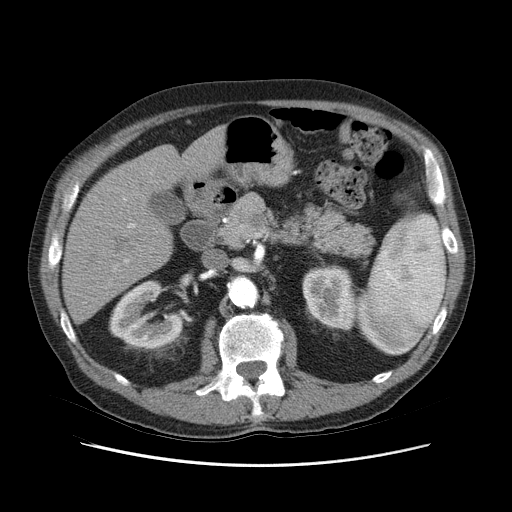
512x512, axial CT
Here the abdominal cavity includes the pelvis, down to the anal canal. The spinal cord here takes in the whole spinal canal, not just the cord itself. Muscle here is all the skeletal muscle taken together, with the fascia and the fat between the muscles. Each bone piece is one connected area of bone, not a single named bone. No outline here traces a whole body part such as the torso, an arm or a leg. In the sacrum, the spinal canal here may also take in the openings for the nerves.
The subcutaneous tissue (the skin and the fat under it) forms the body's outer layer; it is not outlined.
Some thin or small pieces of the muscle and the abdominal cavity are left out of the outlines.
bones 1: 262,312 269,313 277,320 284,334 277,368 285,393 282,396 263,394 259,398 263,414 257,416 252,416 252,402 244,395 229,401 223,400 216,390 197,395 195,391 207,384 221,368 218,334 225,322 235,314 with a hole at 253,361 262,361 264,362 266,365 266,368 263,372 262,372 257,376 257,379 256,380 253,380 252,381 251,380 247,380 245,379 245,378 242,375 239,374 237,372 236,368 240,363 242,363 243,362 252,362
bones 2: 423,147 427,147 432,151 434,156 438,162 438,164 441,171 441,174 443,178 444,190 446,194 446,198 444,201 444,204 442,207 439,205 434,204 432,202 429,196 429,194 430,193 430,180 428,179 425,171
bones 3: 70,180 77,180 79,182 79,186 80,188 79,189 77,197 75,200 75,202 73,204 72,208 70,210 70,211 66,212 62,209 61,204 62,203 62,198 63,197 64,191 66,188 66,186 68,182
bones 4: 53,231 57,231 59,235 58,240 61,244 61,257 59,260 59,262 58,264 57,264 54,267 54,268 52,269 50,268 48,265 48,249 49,248 49,246 51,242 51,236 52,235 52,233
bones 5: 443,226 447,226 451,230 451,231 453,233 456,239 456,241 457,242 457,246 458,247 458,251 457,253 455,254 452,254 451,253 449,253 447,251 446,249 446,247 444,245 444,242 442,238 442,228
bones 6: 62,309 63,310 64,310 64,311 66,313 66,314 69,319 69,321 70,322 70,323 75,332 75,334 76,335 76,338 77,339 76,340 76,342 75,343 73,343 65,335 65,334 60,325 60,312
bones 7: 443,306 445,306 446,307 446,310 447,311 447,313 446,314 445,319 444,320 441,327 439,329 439,330 437,332 437,333 436,334 431,334 432,325 434,322 434,320 435,319 435,318 438,315 441,308
bones 8: 388,370 391,370 392,371 392,372 391,373 390,376 386,380 385,380 383,382 380,382 379,383 376,383 371,380 372,377 373,376 374,376 376,374 377,374 378,373 380,373 381,372 384,372 385,371 387,371
bones 9: 114,372 117,372 118,373 119,373 120,374 121,374 123,376 124,376 127,379 128,379 130,381 130,383 128,385 123,385 121,383 120,383 118,381 117,381 116,380 116,379 115,378 115,377 114,376
abdominal cavity: 233,104 333,110 392,131 422,158 449,273 431,329 395,367 347,382 304,371 297,365 294,331 267,311 235,313 221,327 209,317 199,371 161,386 130,380 82,345 58,290 63,237 80,189 108,157 146,130
muscle: 248,99 253,100 257,99 319,99 320,100 331,100 332,101 338,100 352,102 381,111 391,117 399,119 419,129 427,135 436,144 440,150 444,158 444,161 447,168 447,173 451,183 455,203 455,209 458,217 460,233 466,255 464,281 461,290 457,297 455,307 446,328 442,333 436,348 430,358 414,374 391,387 380,396 370,402 339,413 330,413 318,417 312,418 308,417 304,419 293,421 268,420 255,424 251,424 248,422 247,423 235,423 230,425 221,425 220,424 207,425 206,424 192,423 176,419 173,417 163,416 153,413 139,405 133,403 118,393 96,384 78,367 69,348 64,341 63,334 58,329 58,327 55,324 55,322 49,312 40,284 39,266 44,241 45,229 48,219 48,214 50,211 53,200 55,184 57,180 60,177 66,166 78,154 90,146 107,139 111,134 139,119 160,112 186,106 208,104 223,101 247,100; inner edge: 233,104 333,110 392,131 423,160 423,147 436,158 446,198 433,205 458,247 447,253 447,313 383,382 340,382 300,369 296,336 281,319 285,393 263,394 263,414 252,416 244,395 225,401 216,390 195,393 222,365 213,316 199,371 161,386 123,385 65,335 59,265 49,267 48,249 53,231 62,243 70,218 61,206 68,182 81,188 152,127
spinal cord: 253,361 262,361 264,362 266,365 266,368 263,372 262,372 257,376 257,379 256,380 253,380 252,381 251,380 247,380 245,379 245,378 242,375 239,374 237,372 236,368 240,363 242,363 243,362 252,362